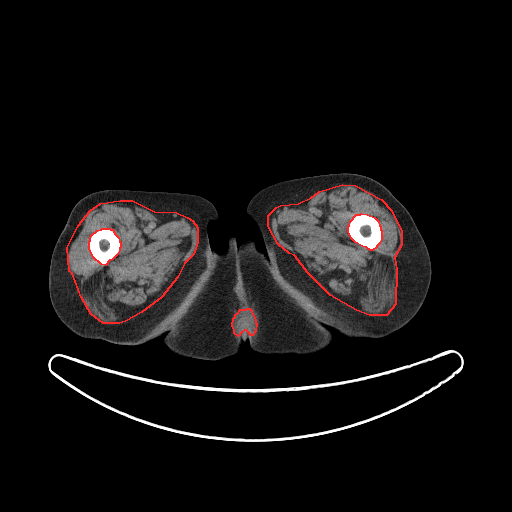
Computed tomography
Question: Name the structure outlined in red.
Answer: red: muscle.
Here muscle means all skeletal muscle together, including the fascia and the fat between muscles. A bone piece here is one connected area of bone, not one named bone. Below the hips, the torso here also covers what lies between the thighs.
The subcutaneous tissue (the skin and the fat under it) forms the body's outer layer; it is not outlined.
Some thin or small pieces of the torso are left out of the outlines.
The muscle appears in 3 outlined pieces: piece 1: 342 184; 355 185; 381 199; 391 210; 401 231; 401 245; 394 257; 396 269; 395 304; 386 315; 369 315; 356 310; 330 295; 308 273; 294 255; 289 253; 278 244; 268 226; 268 215; 276 207; 280 205; 298 203; 311 197; 319 191 with a hole at 361 213; 367 214; 374 217; 378 221; 379 225; 380 226; 380 229; 381 230; 381 239; 379 243; 376 246; 376 247; 372 250; 370 250; 366 247; 362 246; 355 242; 351 238; 348 231; 348 226; 349 225; 350 221; 356 214; 360 214; piece 2: 120 200; 132 200; 154 211; 176 212; 187 217; 192 220; 197 227; 197 242; 193 254; 184 263; 177 277; 161 297; 141 312; 125 321; 119 323; 103 323; 91 314; 81 297; 72 273; 69 271; 67 247; 78 225; 90 210; 100 203 with a hole at 102 228; 109 228; 110 229; 112 229; 115 234; 118 237; 119 241; 120 242; 120 247; 119 248; 119 250; 117 254; 112 259; 109 260; 105 265; 101 264; 93 257; 89 248; 89 241; 90 240; 90 237; 91 235; 97 230; 101 229; piece 3: 247 308; 249 308; 251 310; 251 312; 255 319; 255 322; 256 323; 255 331; 252 335; 250 335; 250 334; 246 330; 244 330; 241 332; 238 336; 234 333; 234 330; 232 325; 233 318; 235 316; 235 314; 237 313; 240 309; 246 309. The torso is outlined by 230 233; 238 241; 242 236; 253 240; 264 252; 281 290; 338 332; 332 332; 333 341; 328 347; 305 355; 263 354; 253 351; 246 340; 236 354; 218 360; 183 357; 167 349; 163 336; 178 325; 205 286; 214 266; 215 250; 226 250. The right leg is outlined by 105 189; 195 194; 210 201; 218 213; 218 219; 210 222; 207 226; 209 243; 214 250; 214 262; 204 286; 171 331; 136 345; 116 344; 102 339; 85 338; 77 335; 57 316; 49 296; 48 274; 52 251; 72 208; 84 196. The bones appear in 2 outlined pieces: piece 1: 361 213; 367 214; 374 217; 378 221; 379 225; 380 226; 380 229; 381 230; 381 239; 379 243; 376 246; 376 247; 372 250; 370 250; 366 247; 362 246; 355 242; 351 238; 348 231; 348 226; 349 225; 350 221; 356 214; 360 214; piece 2: 102 228; 109 228; 110 229; 112 229; 115 234; 118 237; 119 241; 120 242; 120 247; 119 248; 119 250; 117 254; 112 259; 109 260; 105 265; 101 264; 93 257; 89 248; 89 241; 90 240; 90 237; 91 235; 97 230; 101 229. The left leg is outlined by 340 172; 365 175; 384 185; 410 213; 429 253; 431 262; 431 280; 421 307; 413 318; 405 325; 383 337; 352 337; 342 334; 325 320; 294 302; 276 281; 266 257; 261 233; 256 224; 246 213; 247 205; 252 197; 269 185; 294 178.